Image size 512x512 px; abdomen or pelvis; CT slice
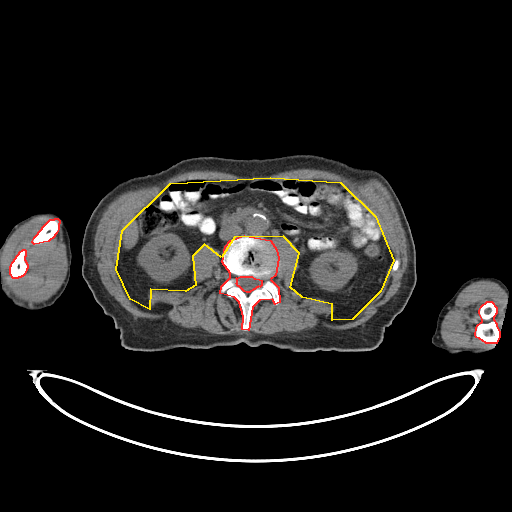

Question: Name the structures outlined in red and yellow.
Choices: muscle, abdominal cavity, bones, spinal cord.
Answer: red: bones; yellow: abdominal cavity.
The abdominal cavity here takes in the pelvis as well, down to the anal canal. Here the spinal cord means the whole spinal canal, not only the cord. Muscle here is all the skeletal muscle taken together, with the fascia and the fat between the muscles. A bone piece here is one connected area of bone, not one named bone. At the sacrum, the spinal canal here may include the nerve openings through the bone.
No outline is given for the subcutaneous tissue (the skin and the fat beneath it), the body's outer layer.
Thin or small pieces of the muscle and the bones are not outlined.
{"bones":[{"outer":[[244,235],[270,240],[276,249],[278,258],[275,275],[270,279],[278,287],[279,302],[275,304],[272,299],[259,300],[252,307],[248,330],[242,329],[243,316],[239,302],[234,297],[220,293],[221,286],[230,277],[230,273],[222,262],[225,246],[230,240]],"hole":[[240,276],[251,276],[254,278],[259,279],[261,280],[261,285],[259,287],[258,286],[256,287],[254,289],[253,289],[249,292],[246,292],[244,291],[239,286],[238,286],[236,283],[237,282],[237,279],[236,278]]},[[487,301],[491,301],[496,307],[496,313],[493,317],[493,319],[496,323],[496,325],[499,332],[499,336],[496,343],[486,343],[479,338],[476,337],[475,335],[476,327],[477,325],[482,321],[482,319],[479,313],[479,310],[481,306]],[[55,218],[57,218],[59,220],[59,223],[58,224],[58,229],[56,233],[54,235],[54,236],[48,241],[34,244],[32,242],[32,241],[34,237],[38,233],[38,232],[42,228],[42,227],[50,219],[54,219]],[[23,249],[24,249],[25,250],[25,256],[24,257],[24,259],[27,264],[27,268],[26,269],[24,274],[22,276],[21,276],[20,277],[18,277],[17,278],[13,278],[10,274],[10,266],[11,265],[12,262],[16,257],[16,256],[19,253],[19,252]]],"abdominal_cavity":[[[270,177],[340,182],[375,216],[393,260],[380,291],[352,319],[332,320],[332,304],[302,297],[290,287],[299,253],[283,236],[234,237],[221,257],[204,244],[192,256],[195,285],[185,291],[150,289],[149,309],[130,299],[116,269],[122,230],[170,183]]],"spinal_cord":[[[240,276],[251,276],[254,278],[259,279],[261,280],[261,285],[259,287],[258,286],[256,287],[254,289],[253,289],[249,292],[246,292],[244,291],[239,286],[238,286],[236,283],[237,282],[237,279],[236,278]]],"torso":[[[292,154],[315,154],[372,168],[387,179],[402,205],[415,245],[417,279],[405,307],[385,329],[382,342],[372,350],[355,352],[300,352],[243,342],[161,351],[123,347],[113,320],[96,302],[81,273],[85,226],[101,198],[126,179],[160,171],[185,158]]],"right_arm":[[[47,211],[56,213],[64,221],[67,228],[72,251],[71,272],[69,281],[65,290],[61,296],[51,306],[39,310],[28,310],[15,305],[6,297],[3,291],[1,283],[1,274],[0,273],[0,246],[3,243],[12,227],[16,223],[34,213],[46,212]]],"left_arm":[[[475,276],[494,276],[501,280],[508,288],[507,303],[498,339],[494,347],[487,352],[483,353],[471,353],[470,352],[448,353],[442,349],[434,346],[431,342],[431,337],[435,331],[436,321],[438,314],[442,307],[452,297],[458,288],[465,281]]],"muscle":[{"outer":[[304,167],[312,167],[322,170],[331,171],[335,173],[342,173],[360,180],[368,179],[369,178],[376,178],[387,189],[396,207],[408,245],[408,261],[407,262],[407,266],[405,272],[402,275],[401,284],[398,289],[398,291],[388,301],[381,305],[378,308],[377,311],[363,324],[360,324],[355,327],[347,329],[340,329],[339,330],[325,328],[321,326],[316,326],[312,329],[306,329],[297,332],[286,332],[284,331],[268,335],[266,334],[259,334],[258,333],[251,333],[250,334],[246,333],[241,333],[240,334],[212,334],[208,332],[189,330],[183,327],[175,325],[170,322],[163,321],[160,319],[142,319],[135,317],[131,313],[127,311],[108,292],[102,283],[97,269],[96,257],[94,251],[94,236],[97,225],[104,210],[108,204],[116,196],[122,192],[128,190],[137,189],[140,187],[156,185],[163,181],[165,181],[176,174],[190,170],[215,170],[216,171],[221,171],[242,176],[250,176],[252,174],[254,174],[256,176],[259,176],[260,175],[269,175],[278,172],[294,170],[298,168],[303,168]],"hole":[[270,177],[340,182],[375,216],[399,266],[352,319],[332,320],[332,304],[290,287],[299,253],[283,236],[270,240],[279,302],[259,300],[248,330],[208,243],[192,256],[195,285],[150,289],[149,309],[130,299],[116,269],[122,230],[170,183]]},{"outer":[[44,214],[55,217],[50,218],[41,227],[31,242],[36,245],[51,240],[57,233],[60,222],[67,257],[66,273],[60,287],[48,299],[38,303],[30,303],[27,301],[20,302],[13,293],[2,288],[0,251],[4,248],[11,235],[19,226],[36,216]],"hole":[[23,249],[24,249],[25,250],[25,256],[24,257],[24,259],[27,264],[27,268],[26,269],[24,274],[22,276],[21,276],[20,277],[18,277],[17,278],[13,278],[10,274],[10,266],[11,265],[12,262],[16,257],[16,256],[19,253],[19,252]]},[[479,280],[489,280],[497,283],[507,295],[500,331],[494,319],[497,307],[491,300],[485,301],[478,310],[481,321],[476,325],[474,335],[486,344],[495,345],[493,348],[449,347],[441,338],[440,329],[443,318],[449,308],[454,305],[460,292],[471,283]]]}